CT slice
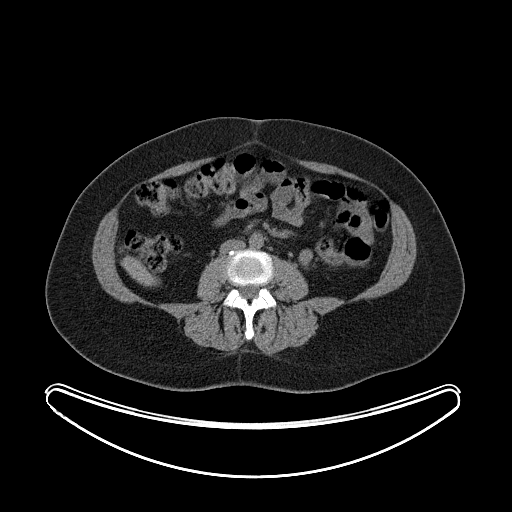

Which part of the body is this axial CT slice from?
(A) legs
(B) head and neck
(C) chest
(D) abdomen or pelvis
(D) abdomen or pelvis
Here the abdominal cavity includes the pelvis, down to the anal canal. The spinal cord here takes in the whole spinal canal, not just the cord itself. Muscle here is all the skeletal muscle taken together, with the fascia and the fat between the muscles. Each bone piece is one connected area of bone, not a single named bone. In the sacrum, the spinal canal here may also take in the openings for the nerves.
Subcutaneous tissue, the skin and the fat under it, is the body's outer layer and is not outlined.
The bones are outlined by [[244,249],[263,251],[271,256],[273,276],[266,287],[276,301],[275,307],[262,308],[254,313],[252,319],[254,333],[252,338],[249,340],[244,336],[245,317],[243,311],[240,308],[224,306],[222,303],[232,288],[232,285],[226,275],[228,254],[231,250]] with a hole at [[247,285],[255,285],[256,286],[258,286],[259,287],[259,288],[258,289],[258,292],[257,293],[257,295],[256,296],[253,297],[251,299],[247,299],[246,298],[245,298],[241,295],[241,294],[239,291],[239,287],[241,287],[242,286],[246,286]]. The abdominal cavity is outlined by [[252,146],[312,171],[359,181],[388,199],[392,242],[377,281],[348,298],[305,298],[308,282],[295,263],[244,248],[231,249],[227,256],[219,255],[204,266],[195,302],[154,302],[125,285],[116,268],[114,245],[118,212],[129,194],[143,184],[182,175]]. The muscle is outlined by [[254,140],[259,141],[268,147],[277,150],[283,154],[303,160],[316,161],[334,165],[375,183],[382,188],[389,197],[404,211],[412,225],[416,238],[416,258],[414,265],[409,277],[401,286],[379,297],[368,300],[362,299],[349,304],[345,304],[326,313],[319,320],[319,326],[315,334],[305,344],[299,347],[286,348],[271,356],[259,352],[249,341],[245,345],[237,347],[227,352],[211,347],[202,347],[197,345],[184,335],[182,326],[178,323],[173,316],[167,312],[139,303],[131,304],[124,303],[108,294],[101,287],[97,279],[91,258],[94,236],[101,219],[134,184],[149,178],[167,168],[185,161],[193,161],[204,157],[215,156],[218,154],[227,152],[238,145]] with a hole at [[252,146],[380,192],[392,242],[377,281],[348,298],[305,298],[308,282],[296,264],[272,255],[266,287],[276,305],[254,313],[248,340],[243,311],[222,303],[232,288],[226,256],[204,266],[198,301],[154,302],[125,285],[114,245],[119,209],[134,189]]. The torso is outlined by [[217,116],[294,118],[338,128],[384,148],[420,179],[435,200],[450,231],[465,284],[457,319],[431,355],[407,368],[333,391],[291,393],[245,385],[176,391],[105,371],[70,347],[51,322],[44,291],[56,242],[76,198],[100,171],[129,149],[182,125]]. The spinal cord is outlined by [[247,285],[255,285],[256,286],[258,286],[259,287],[259,288],[258,289],[258,292],[257,293],[257,295],[256,296],[253,297],[251,299],[247,299],[246,298],[245,298],[241,295],[241,294],[239,291],[239,287],[241,287],[242,286],[246,286]].